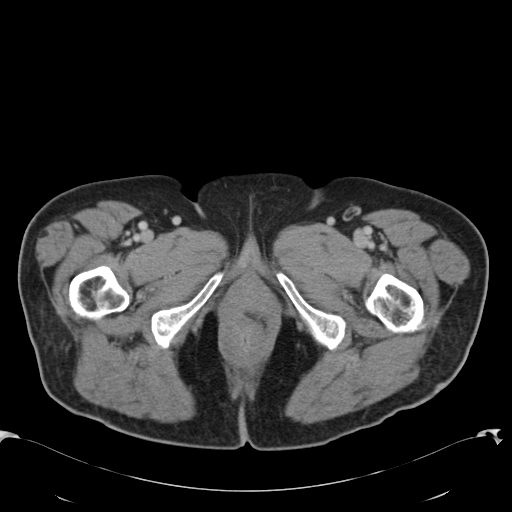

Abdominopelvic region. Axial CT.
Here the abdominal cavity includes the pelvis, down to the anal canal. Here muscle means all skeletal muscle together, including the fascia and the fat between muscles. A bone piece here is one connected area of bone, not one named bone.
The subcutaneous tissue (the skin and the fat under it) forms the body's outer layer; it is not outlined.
Outlined structures:
bones 1: [[384,273],[389,273],[397,277],[414,287],[419,292],[423,300],[423,308],[424,309],[423,323],[425,326],[422,329],[413,332],[399,332],[398,333],[392,332],[387,329],[383,323],[375,315],[370,313],[367,310],[364,302],[365,299],[373,289],[377,280]]
bones 2: [[100,265],[106,265],[112,270],[118,282],[126,290],[130,298],[129,299],[129,304],[122,311],[112,312],[104,315],[97,320],[93,320],[92,319],[88,319],[85,317],[81,317],[74,312],[69,303],[69,284],[71,279],[79,272],[84,270],[91,269]]
bones 3: [[278,271],[285,274],[293,282],[301,296],[310,305],[327,313],[337,314],[344,319],[346,322],[345,334],[344,337],[335,349],[333,350],[328,349],[326,346],[317,341],[313,337],[310,332],[308,325],[301,317],[294,304],[278,281],[276,277],[276,272]]
bones 4: [[221,271],[224,272],[223,277],[208,299],[184,324],[181,329],[173,337],[169,344],[169,346],[167,348],[162,348],[159,346],[157,344],[151,331],[151,316],[152,314],[161,309],[165,309],[166,308],[178,306],[187,303],[198,293],[206,282],[214,274]]
torso: [[259,171],[297,174],[312,186],[370,177],[439,198],[475,224],[488,252],[487,292],[453,380],[377,425],[325,445],[279,451],[258,451],[247,442],[213,450],[143,440],[52,399],[17,286],[23,234],[36,211],[91,181],[166,174],[194,201],[210,179]]
muscle: [[100,200],[127,202],[156,224],[216,231],[232,257],[269,257],[278,232],[291,224],[344,228],[374,210],[408,209],[444,229],[467,256],[470,272],[441,318],[419,377],[367,407],[308,424],[282,414],[301,375],[322,353],[284,314],[254,399],[232,400],[218,347],[218,320],[210,310],[176,351],[177,369],[191,386],[197,415],[175,423],[136,418],[96,405],[75,389],[75,344],[48,297],[35,257],[36,240],[49,220]] with holes at [[250,274],[255,276],[268,288],[272,290],[275,295],[278,301],[279,323],[278,328],[275,331],[274,337],[260,361],[256,362],[249,367],[234,367],[231,365],[230,366],[226,360],[221,347],[220,308],[228,290],[240,279],[246,277]] and at [[384,273],[389,273],[397,277],[414,287],[419,292],[423,300],[423,308],[424,309],[423,323],[425,326],[422,329],[413,332],[399,332],[398,333],[392,332],[387,329],[383,323],[375,315],[370,313],[367,310],[364,302],[365,299],[373,289],[377,280]] and at [[100,265],[106,265],[112,270],[118,282],[126,290],[130,298],[129,299],[129,304],[122,311],[112,312],[104,315],[97,320],[93,320],[92,319],[88,319],[85,317],[81,317],[74,312],[69,303],[69,284],[71,279],[79,272],[84,270],[91,269]] and at [[278,271],[285,274],[293,282],[301,296],[310,305],[327,313],[337,314],[344,319],[346,322],[345,334],[344,337],[335,349],[333,350],[328,349],[326,346],[317,341],[313,337],[310,332],[308,325],[301,317],[294,304],[278,281],[276,277],[276,272]] and at [[221,271],[224,272],[223,277],[208,299],[184,324],[181,329],[173,337],[169,344],[169,346],[167,348],[162,348],[159,346],[157,344],[151,331],[151,316],[152,314],[161,309],[165,309],[166,308],[178,306],[187,303],[198,293],[206,282],[214,274]]
abdominal cavity: [[250,274],[255,276],[268,288],[272,290],[275,295],[278,301],[279,323],[278,328],[275,331],[274,337],[260,361],[256,362],[249,367],[234,367],[231,365],[230,366],[226,360],[221,347],[220,308],[228,290],[240,279],[246,277]]